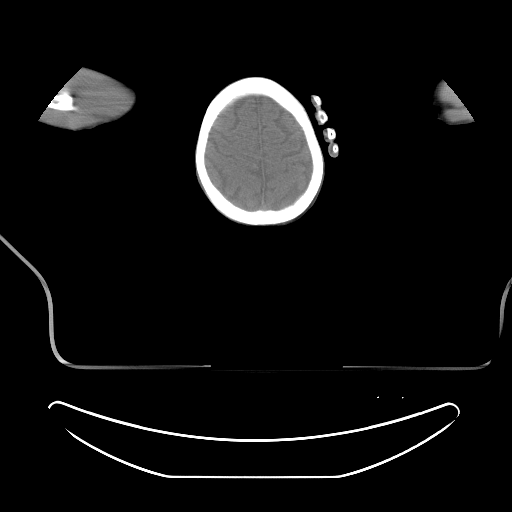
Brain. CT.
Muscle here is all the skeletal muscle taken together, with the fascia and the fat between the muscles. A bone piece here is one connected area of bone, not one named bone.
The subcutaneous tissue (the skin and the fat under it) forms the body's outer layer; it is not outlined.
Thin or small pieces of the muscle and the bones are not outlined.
The right arm appears in 3 outlined pieces: piece 1: 83,66 94,68 117,76 133,85 139,92 139,101 135,108 125,117 118,121 111,123 106,123 91,129 85,129 78,131 68,131 63,129 58,129 55,127 52,127 39,122 39,119 42,116 52,98 64,84; piece 2: 326,128 331,128 333,129 335,132 335,137 334,138 334,141 337,145 337,147 338,148 338,150 337,151 338,153 338,155 336,157 332,157 329,154 328,152 328,144 325,141 324,139 324,137 323,136 323,130; piece 3: 312,94 315,96 317,96 319,98 319,99 320,100 320,106 321,107 321,109 326,114 326,115 327,116 327,119 322,124 319,124 318,123 317,120 314,116 314,111 315,110 315,109 311,102 311,97 310,96. The brain is outlined by 250,95 265,96 270,98 282,108 286,110 293,117 301,128 310,156 311,171 305,188 291,203 277,209 273,208 246,209 235,204 228,199 214,184 209,175 206,166 205,155 209,135 218,116 227,106 239,98. The left arm is outlined by 439,79 442,79 459,98 463,105 466,108 469,115 471,116 473,119 473,122 471,123 468,123 467,124 462,124 461,125 449,125 448,124 443,123 436,118 435,112 431,107 431,93 432,92 432,89 435,83. The muscle appears in 3 outlined pieces: piece 1: 78,71 80,73 84,71 97,73 117,82 128,94 128,99 125,105 116,113 104,115 95,121 77,127 66,127 44,120 42,115 46,108 59,111 76,111 78,109 78,107 74,104 73,96 63,87 64,84; piece 2: 447,84 447,85 459,98 463,105 466,108 469,115 471,116 470,118 465,120 457,120 456,121 453,121 448,119 446,117 445,115 445,112 447,108 445,106 444,102 440,97 440,92 442,88 445,87; piece 3: 324,129 325,129 325,135 326,137 329,140 333,140 334,139 334,141 335,142 334,142 332,144 331,149 335,154 338,153 338,155 336,157 332,157 328,152 328,144 325,141 324,139 324,137 323,136 323,130. The head is outlined by 254,75 265,76 279,82 301,102 312,122 324,158 325,179 323,187 315,205 301,219 285,227 267,228 242,227 228,221 212,207 204,194 202,193 196,180 194,150 198,130 206,107 210,100 224,86 238,78. The bones appear in 3 outlined pieces: piece 1: 254,75 265,76 279,82 301,102 312,122 324,158 324,175 319,191 314,199 301,214 289,221 282,223 253,225 230,219 218,211 210,202 198,181 195,171 194,150 196,139 202,117 210,100 230,82 238,78 with a hole at 250,95 265,96 270,98 282,108 286,110 293,117 301,128 310,156 311,171 305,188 291,203 277,209 273,208 246,209 235,204 228,199 214,184 209,175 206,166 205,155 209,135 218,116 227,106 239,98; piece 2: 62,87 64,90 66,91 68,91 69,93 72,96 73,98 73,104 77,107 77,109 76,110 59,110 58,109 54,109 53,108 50,108 49,107 47,107 48,104 50,102 52,98; piece 3: 313,95 315,96 317,96 319,98 320,100 320,105 319,107 326,114 327,116 327,119 323,123 321,123 319,122 316,118 316,111 317,110 317,104 315,102 315,101 312,97.